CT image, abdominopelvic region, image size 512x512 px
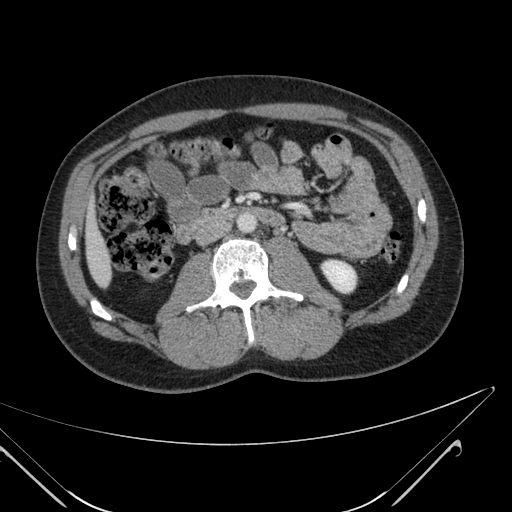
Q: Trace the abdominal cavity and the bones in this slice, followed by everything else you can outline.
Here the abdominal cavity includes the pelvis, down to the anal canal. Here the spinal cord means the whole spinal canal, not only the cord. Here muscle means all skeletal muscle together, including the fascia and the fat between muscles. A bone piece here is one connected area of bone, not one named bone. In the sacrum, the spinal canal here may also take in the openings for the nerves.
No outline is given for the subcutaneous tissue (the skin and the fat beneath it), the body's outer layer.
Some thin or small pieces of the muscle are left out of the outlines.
A: {"abdominal_cavity":[[[145,323],[154,321],[190,256],[202,251],[212,256],[233,237],[262,245],[269,237],[291,241],[346,309],[377,299],[405,271],[413,235],[410,204],[385,158],[352,132],[243,113],[165,135],[122,157],[91,190],[82,223],[81,264],[89,288],[102,302]]],"bones":[{"outer":[[249,346],[254,342],[251,308],[258,301],[270,296],[301,301],[303,295],[278,288],[270,281],[268,255],[258,242],[233,238],[221,243],[213,254],[213,292],[188,305],[185,310],[191,312],[208,306],[213,309],[217,306],[239,308],[244,317]],"hole":[[241,298],[246,298],[250,294],[252,289],[255,286],[255,283],[254,282],[250,280],[246,280],[245,281],[241,281],[237,283],[235,282],[231,285],[230,287],[230,289],[231,291],[235,293]]},[[108,321],[111,321],[112,320],[112,316],[111,315],[111,314],[105,309],[104,306],[98,300],[98,299],[94,295],[91,295],[90,296],[90,305],[91,306],[91,309],[92,310],[92,312],[95,315],[96,315],[97,316],[98,316],[105,320],[107,320]],[[72,251],[73,251],[74,250],[75,250],[76,249],[76,229],[75,228],[75,226],[73,224],[72,224],[70,226],[70,229],[69,230],[69,232],[68,233],[68,237],[67,238],[67,245],[68,246],[68,247],[69,248],[69,249],[70,250],[71,250]],[[422,223],[424,223],[426,221],[426,204],[425,203],[425,201],[424,200],[424,199],[422,197],[421,197],[420,196],[419,197],[419,198],[418,199],[418,202],[417,203],[417,213],[418,214],[418,216],[419,217],[419,219],[420,220],[420,221]],[[396,294],[400,294],[405,289],[405,288],[407,285],[407,280],[408,279],[408,274],[406,271],[405,272],[404,272],[404,273],[402,275],[402,276],[400,278],[400,279],[399,280],[399,281],[397,284],[397,286],[396,287]]],"torso":[[[158,393],[199,391],[249,373],[303,382],[360,378],[411,361],[441,337],[461,294],[463,229],[450,185],[411,125],[375,101],[323,81],[222,74],[180,81],[137,99],[67,152],[51,181],[37,233],[35,270],[44,313],[60,342],[86,368],[110,381]]],"muscle":[{"outer":[[195,370],[205,370],[230,365],[237,362],[249,350],[252,349],[259,350],[267,355],[280,360],[315,359],[327,353],[339,341],[347,330],[351,330],[365,324],[383,323],[388,320],[396,318],[413,306],[419,296],[424,280],[434,261],[439,239],[439,230],[435,205],[422,168],[411,146],[401,135],[395,130],[377,122],[374,122],[368,118],[333,106],[323,104],[305,102],[276,102],[256,104],[229,109],[204,108],[175,112],[145,121],[113,140],[91,151],[81,158],[74,165],[68,177],[64,189],[58,236],[58,255],[60,266],[70,292],[76,301],[84,308],[85,311],[89,315],[90,324],[93,330],[98,334],[115,341],[135,343],[142,345],[159,357],[166,359],[179,366]],"holes":[[[249,346],[258,301],[303,299],[270,281],[269,237],[291,241],[346,309],[397,281],[405,289],[412,210],[359,135],[231,113],[136,148],[92,188],[80,238],[92,312],[111,321],[103,302],[152,323],[181,266],[206,251],[215,288],[185,310],[239,308]],[[422,223],[424,223],[426,221],[426,204],[425,203],[425,201],[424,200],[424,199],[422,197],[421,197],[420,196],[419,197],[419,198],[418,199],[418,202],[417,203],[417,213],[418,214],[418,216],[419,217],[419,219],[420,220],[420,221]],[[72,251],[73,251],[74,250],[75,250],[76,249],[76,229],[75,228],[75,226],[73,224],[72,224],[70,226],[70,229],[69,230],[69,232],[68,233],[68,237],[67,238],[67,245],[68,246],[68,247],[69,248],[69,249],[70,250],[71,250]]]}],"spinal_cord":[[[241,298],[246,298],[250,294],[252,289],[255,286],[255,283],[254,282],[250,280],[246,280],[245,281],[241,281],[237,283],[235,282],[231,285],[230,287],[230,289],[231,291],[235,293]]]}